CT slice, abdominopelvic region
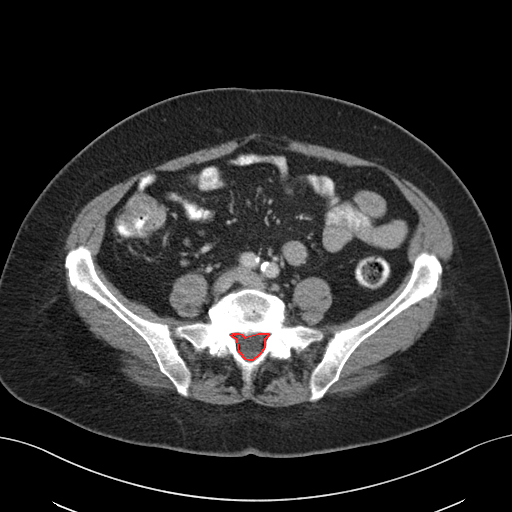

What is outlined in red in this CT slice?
red: spinal cord.
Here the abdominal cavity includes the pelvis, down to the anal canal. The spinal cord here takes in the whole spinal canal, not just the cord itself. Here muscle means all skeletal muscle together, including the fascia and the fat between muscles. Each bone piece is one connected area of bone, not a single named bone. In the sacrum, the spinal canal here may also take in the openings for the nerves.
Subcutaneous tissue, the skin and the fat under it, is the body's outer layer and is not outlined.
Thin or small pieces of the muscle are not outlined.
spinal cord: [[232,333],[234,334],[235,333],[238,333],[241,334],[244,337],[258,333],[262,333],[263,334],[264,333],[267,333],[268,335],[264,339],[264,346],[263,349],[258,355],[252,360],[247,360],[245,359],[239,352],[237,340],[231,335]]
muscle 1: [[252,133],[284,136],[379,163],[419,188],[443,213],[450,228],[453,252],[443,272],[443,295],[429,327],[411,346],[384,361],[390,366],[386,375],[351,396],[323,397],[365,339],[434,293],[443,266],[433,252],[422,250],[415,256],[406,284],[380,312],[335,331],[326,341],[309,375],[309,402],[273,407],[250,399],[223,405],[188,398],[192,373],[174,337],[186,340],[196,351],[206,349],[212,357],[230,356],[242,379],[249,383],[253,372],[268,358],[286,360],[293,351],[298,354],[322,341],[324,333],[316,327],[345,322],[389,296],[411,267],[407,251],[419,216],[390,177],[374,166],[349,166],[251,139],[222,156],[140,177],[107,212],[96,261],[126,298],[159,316],[182,321],[189,318],[180,315],[169,302],[173,284],[184,274],[203,276],[208,286],[202,311],[190,319],[193,322],[172,329],[124,305],[99,277],[87,246],[80,244],[66,253],[63,266],[69,283],[111,310],[145,341],[176,392],[157,394],[129,381],[119,369],[118,351],[94,336],[70,301],[61,265],[62,248],[84,205],[142,170]]
muscle 2: [[312,276],[321,278],[328,284],[332,295],[332,302],[330,306],[323,314],[322,318],[317,323],[311,326],[309,326],[302,318],[301,316],[302,315],[302,312],[301,310],[295,305],[294,302],[292,300],[292,296],[293,295],[294,288],[296,285],[301,280]]
torso: [[215,87],[295,89],[359,104],[403,126],[454,170],[487,222],[511,302],[506,363],[495,385],[479,401],[437,424],[381,443],[300,457],[227,457],[109,438],[23,403],[5,389],[0,383],[0,274],[20,223],[34,200],[72,156],[118,121],[163,99]]
bones 1: [[80,245],[88,248],[98,277],[124,306],[171,330],[208,322],[209,308],[224,295],[254,288],[284,302],[286,324],[314,328],[324,336],[286,359],[268,357],[249,382],[230,355],[212,356],[174,336],[191,373],[185,397],[135,330],[70,283],[65,257]], around a hole outlined by [[232,333],[234,334],[235,333],[238,333],[241,334],[244,337],[258,333],[262,333],[263,334],[264,333],[267,333],[268,335],[264,339],[264,346],[263,349],[258,355],[252,360],[247,360],[245,359],[239,352],[237,340],[231,335]]
bones 2: [[422,251],[433,253],[442,266],[442,272],[433,293],[402,310],[365,338],[351,353],[343,365],[338,379],[328,388],[324,395],[318,400],[309,401],[311,395],[309,386],[310,375],[321,360],[327,341],[335,332],[359,325],[387,307],[407,284],[415,258]]
abdominal cavity: [[251,140],[389,177],[418,216],[410,267],[389,295],[310,327],[333,302],[329,284],[312,275],[291,296],[308,326],[254,287],[224,294],[208,321],[194,322],[208,302],[199,273],[172,284],[168,302],[183,320],[110,281],[97,255],[106,216],[130,188]]